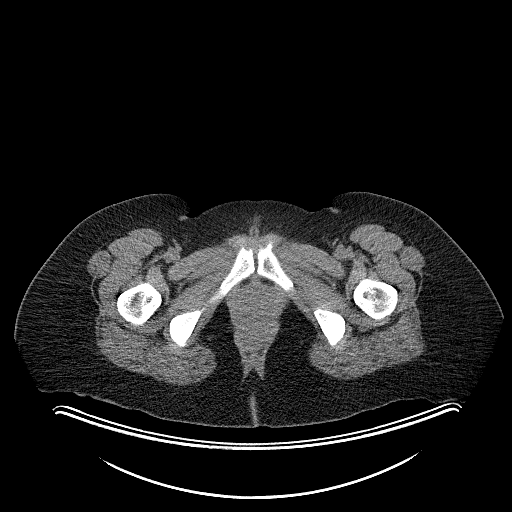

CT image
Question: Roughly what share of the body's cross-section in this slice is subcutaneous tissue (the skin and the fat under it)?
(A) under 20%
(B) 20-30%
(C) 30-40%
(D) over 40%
Answer: (D) over 40%
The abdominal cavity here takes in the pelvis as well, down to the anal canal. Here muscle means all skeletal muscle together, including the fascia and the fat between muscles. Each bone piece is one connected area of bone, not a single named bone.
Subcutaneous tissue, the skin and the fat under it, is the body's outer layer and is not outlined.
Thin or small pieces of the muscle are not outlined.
The abdominal cavity is outlined by (251, 275) (253, 277) (260, 276) (271, 281) (275, 284) (275, 287) (279, 290) (283, 298) (282, 303) (278, 307) (275, 329) (265, 345) (261, 361) (259, 362) (246, 358) (245, 352) (236, 335) (236, 321) (228, 307) (230, 306) (228, 305) (230, 297) (238, 284). The muscle is outlined by (364, 223) (397, 231) (424, 257) (416, 305) (425, 347) (411, 361) (349, 380) (325, 374) (308, 359) (316, 330) (291, 301) (263, 367) (245, 372) (228, 308) (245, 358) (259, 363) (284, 299) (276, 285) (295, 291) (271, 239) (255, 255) (241, 244) (204, 304) (169, 320) (171, 340) (186, 346) (206, 307) (237, 285) (200, 331) (217, 362) (201, 382) (168, 384) (98, 353) (86, 265) (131, 229) (153, 228) (196, 249) (271, 232) (320, 247); inner edges: (364, 278) (378, 279) (384, 282) (386, 282) (395, 287) (395, 288) (398, 292) (398, 301) (396, 304) (396, 306) (394, 310) (390, 315) (388, 315) (380, 320) (376, 320) (370, 317) (355, 304) (353, 300) (353, 291) (356, 285) (360, 281) (360, 280), then (141, 282) (147, 282) (151, 284) (161, 294) (161, 297) (162, 298) (162, 302) (160, 306) (154, 312) (154, 313) (142, 325) (134, 325) (130, 322) (128, 321) (126, 321) (119, 314) (117, 310) (116, 301) (117, 300) (117, 297) (118, 295) (121, 292), then (317, 307) (325, 308) (328, 310) (330, 310) (334, 312) (337, 312) (339, 313) (343, 317) (345, 321) (345, 331) (344, 332) (343, 337) (336, 344) (336, 347) (333, 347) (329, 344) (326, 337) (324, 335) (320, 328) (320, 326) (313, 313) (314, 309). The bones appear in 4 outlined pieces: piece 1: (269, 240) (272, 241) (272, 250) (282, 268) (293, 282) (294, 291) (285, 291) (255, 271) (236, 284) (221, 299) (207, 305) (186, 345) (182, 347) (177, 345) (169, 333) (170, 320) (180, 313) (200, 309) (205, 304) (229, 272) (241, 245) (252, 248) (255, 256) (259, 247); piece 2: (364, 278) (378, 279) (384, 282) (386, 282) (395, 287) (395, 288) (398, 292) (398, 301) (396, 304) (396, 306) (394, 310) (390, 315) (388, 315) (380, 320) (376, 320) (370, 317) (355, 304) (353, 300) (353, 291) (356, 285) (360, 281) (360, 280); piece 3: (141, 282) (147, 282) (151, 284) (161, 294) (161, 297) (162, 298) (162, 302) (160, 306) (154, 312) (154, 313) (142, 325) (134, 325) (130, 322) (128, 321) (126, 321) (119, 314) (117, 310) (116, 301) (117, 300) (117, 297) (118, 295) (121, 292); piece 4: (317, 307) (325, 308) (328, 310) (330, 310) (334, 312) (337, 312) (339, 313) (343, 317) (345, 321) (345, 331) (344, 332) (343, 337) (336, 344) (336, 347) (333, 347) (329, 344) (326, 337) (324, 335) (320, 328) (320, 326) (313, 313) (314, 309). The torso is outlined by (347, 191) (380, 194) (424, 211) (469, 256) (493, 291) (502, 321) (491, 353) (463, 402) (398, 400) (324, 423) (214, 427) (164, 420) (72, 392) (38, 388) (14, 338) (18, 308) (45, 260) (90, 214) (152, 193) (184, 198) (189, 216) (238, 199) (281, 200) (314, 211).